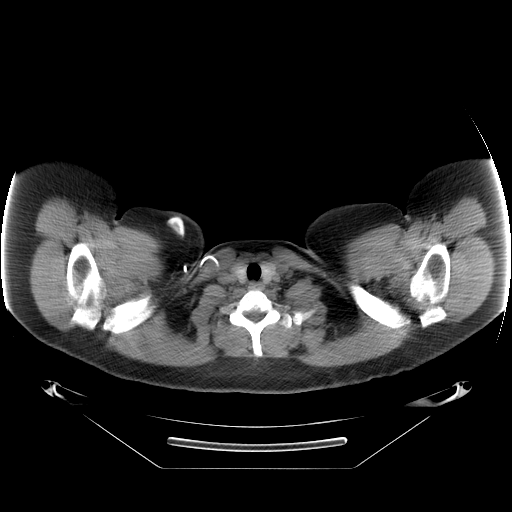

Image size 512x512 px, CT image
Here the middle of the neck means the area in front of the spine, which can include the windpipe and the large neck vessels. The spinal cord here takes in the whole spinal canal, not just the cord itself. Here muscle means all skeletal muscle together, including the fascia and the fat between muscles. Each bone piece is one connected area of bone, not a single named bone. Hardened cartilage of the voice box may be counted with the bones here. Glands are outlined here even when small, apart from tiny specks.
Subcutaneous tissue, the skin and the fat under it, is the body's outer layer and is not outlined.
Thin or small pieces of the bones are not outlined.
The torso is outlined by (376, 201) (394, 205) (379, 241) (388, 290) (408, 306) (474, 333) (393, 376) (281, 394) (155, 386) (114, 377) (46, 346) (3, 304) (2, 282) (44, 312) (103, 305) (120, 271) (123, 213) (133, 206) (191, 216) (208, 250) (247, 238) (303, 246) (304, 230) (318, 214). The left arm is outlined by (468, 157) (492, 159) (503, 190) (508, 227) (511, 232) (511, 277) (508, 280) (506, 305) (492, 321) (475, 333) (460, 327) (437, 312) (414, 308) (397, 298) (384, 280) (380, 261) (381, 237) (394, 206) (404, 212) (409, 191) (428, 171) (444, 163). The bones appear in 4 outlined pieces: piece 1: (78, 242) (87, 244) (105, 284) (105, 296) (100, 302) (101, 309) (104, 311) (130, 299) (139, 299) (151, 294) (151, 300) (157, 306) (147, 319) (128, 332) (120, 334) (113, 334) (102, 329) (101, 320) (93, 330) (70, 323) (74, 309) (66, 300) (66, 273) (70, 250); piece 2: (438, 242) (445, 243) (449, 252) (450, 258) (450, 276) (448, 291) (446, 296) (440, 303) (440, 305) (446, 312) (447, 315) (445, 319) (429, 325) (425, 328) (422, 328) (417, 316) (419, 312) (417, 307) (418, 303) (410, 295) (409, 284) (411, 277) (421, 263) (429, 246); piece 3: (249, 289) (261, 290) (273, 302) (288, 306) (290, 313) (293, 310) (315, 309) (315, 311) (300, 325) (293, 324) (287, 328) (277, 322) (264, 327) (259, 335) (262, 355) (257, 357) (253, 354) (249, 332) (242, 326) (230, 323) (228, 314) (220, 311) (222, 306) (237, 301), around a hole outlined by (252, 310) (257, 310) (260, 312) (262, 312) (263, 313) (264, 313) (264, 315) (262, 317) (262, 318) (261, 319) (260, 319) (258, 321) (253, 321) (252, 320) (251, 320) (250, 319) (249, 319) (244, 314) (244, 313) (245, 312) (247, 312) (248, 311) (251, 311); piece 4: (349, 282) (355, 282) (362, 286) (368, 292) (384, 300) (386, 300) (392, 304) (397, 305) (403, 312) (408, 314) (410, 316) (411, 318) (411, 322) (408, 325) (406, 324) (400, 328) (394, 328) (393, 329) (379, 323) (366, 314) (356, 304) (348, 289) (348, 283). The muscle is outlined by (464, 195) (484, 203) (491, 293) (454, 325) (356, 363) (316, 367) (261, 357) (264, 328) (300, 326) (316, 311) (290, 312) (268, 297) (262, 289) (279, 284) (284, 272) (269, 261) (235, 263) (222, 278) (248, 289) (219, 311) (248, 332) (256, 357) (192, 367) (130, 359) (81, 331) (59, 330) (41, 315) (29, 288) (34, 221) (51, 196) (160, 238) (164, 278) (172, 285) (224, 247) (257, 253) (281, 246) (339, 277) (343, 247) (354, 237) (412, 222), around holes outlined by (78, 242) (87, 244) (105, 284) (105, 296) (100, 302) (101, 309) (104, 311) (130, 299) (139, 299) (151, 294) (151, 300) (157, 306) (147, 319) (128, 332) (120, 334) (113, 334) (102, 329) (101, 320) (93, 330) (70, 323) (74, 309) (66, 300) (66, 273) (70, 250) and by (438, 242) (445, 243) (449, 252) (450, 258) (450, 276) (448, 291) (446, 296) (440, 303) (440, 305) (446, 312) (447, 315) (445, 319) (429, 325) (425, 328) (422, 328) (417, 316) (419, 312) (417, 307) (418, 303) (410, 295) (409, 284) (411, 277) (421, 263) (429, 246) and by (349, 282) (355, 282) (362, 286) (368, 292) (384, 300) (386, 300) (392, 304) (397, 305) (403, 312) (408, 314) (410, 316) (411, 318) (411, 322) (408, 325) (406, 324) (400, 328) (394, 328) (393, 329) (379, 323) (366, 314) (356, 304) (348, 289) (348, 283). The middle of the neck is outlined by (249, 260) (260, 260) (261, 261) (259, 264) (261, 270) (261, 279) (265, 284) (269, 284) (271, 282) (276, 274) (277, 268) (283, 270) (279, 283) (260, 289) (259, 288) (248, 288) (224, 281) (223, 279) (224, 276) (230, 271) (241, 284) (244, 283) (246, 281) (247, 261). The spinal cord is outlined by (252, 310) (257, 310) (260, 312) (262, 312) (263, 313) (264, 313) (264, 315) (262, 317) (262, 318) (261, 319) (260, 319) (258, 321) (253, 321) (252, 320) (251, 320) (250, 319) (249, 319) (244, 314) (244, 313) (245, 312) (247, 312) (248, 311) (251, 311). The right arm is outlined by (56, 156) (81, 162) (97, 170) (107, 178) (117, 193) (116, 200) (118, 208) (116, 217) (119, 218) (122, 214) (123, 217) (123, 249) (115, 288) (103, 304) (79, 311) (51, 312) (34, 308) (15, 296) (3, 282) (3, 225) (7, 198) (13, 177) (20, 168) (31, 162). The thyroid glands appear in 2 outlined pieces: piece 1: (261, 262) (269, 262) (270, 263) (272, 263) (273, 264) (274, 264) (276, 267) (276, 271) (275, 272) (275, 274) (273, 276) (272, 279) (270, 281) (270, 282) (269, 283) (265, 283) (263, 281) (263, 280) (262, 279) (262, 270) (261, 269) (261, 266) (260, 265); piece 2: (242, 262) (246, 262) (246, 269) (245, 270) (245, 281) (244, 282) (243, 282) (242, 283) (241, 283) (237, 279) (237, 278) (234, 275) (234, 274) (231, 271) (231, 268) (232, 267) (232, 266) (233, 266) (235, 264) (237, 264) (238, 263) (241, 263).